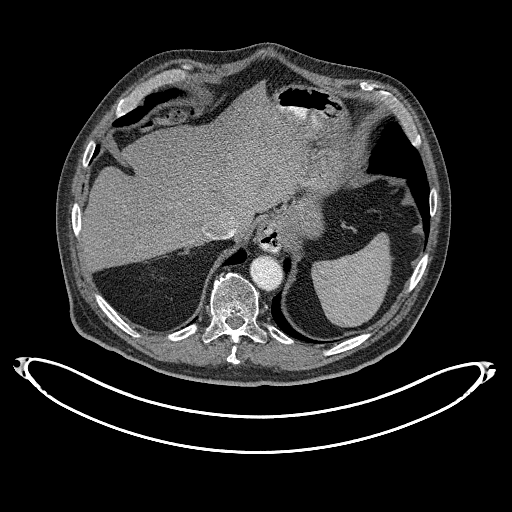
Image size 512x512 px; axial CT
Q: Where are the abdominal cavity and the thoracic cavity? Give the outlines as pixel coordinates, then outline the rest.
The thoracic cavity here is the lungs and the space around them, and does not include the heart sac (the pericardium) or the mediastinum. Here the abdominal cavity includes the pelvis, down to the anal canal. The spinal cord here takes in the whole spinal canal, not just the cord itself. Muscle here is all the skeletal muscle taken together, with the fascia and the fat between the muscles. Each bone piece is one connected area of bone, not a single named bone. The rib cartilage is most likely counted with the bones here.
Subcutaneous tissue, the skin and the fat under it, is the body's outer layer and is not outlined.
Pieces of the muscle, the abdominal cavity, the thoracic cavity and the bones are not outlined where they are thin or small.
A: Outlines (x, y in pixels):
abdominal cavity: (327, 342) (379, 319) (425, 245) (407, 180) (368, 171) (372, 131) (391, 111) (278, 62) (152, 90) (183, 88) (187, 96) (111, 126) (86, 171) (82, 250) (100, 293) (134, 329) (171, 332) (201, 314) (215, 270) (269, 219) (290, 260) (282, 313) (300, 333)
thoracic cavity 1: (425, 244) (428, 236) (429, 220) (430, 219) (428, 214) (429, 186) (426, 179) (425, 171) (419, 152) (410, 144) (398, 122) (397, 121) (390, 121) (380, 134) (377, 145) (372, 150) (369, 171) (399, 175) (405, 177) (408, 180) (408, 183) (422, 215) (423, 227) (425, 234)
thoracic cavity 2: (117, 127) (124, 127) (138, 121) (155, 104) (161, 101) (164, 101) (177, 96) (182, 97) (186, 96) (187, 94) (186, 91) (183, 89) (180, 90) (175, 88) (169, 88) (165, 90) (160, 90) (156, 93) (145, 96) (144, 104) (142, 106) (116, 119) (112, 123) (112, 125)
thoracic cavity 3: (320, 345) (332, 345) (343, 340) (334, 341) (330, 343) (322, 342) (308, 338) (294, 330) (293, 328) (289, 325) (281, 313) (279, 307) (280, 293) (278, 293) (273, 298) (270, 307) (267, 309) (267, 312) (271, 320) (271, 322) (283, 332) (295, 339) (312, 344) (319, 344)
thoracic cavity 4: (223, 265) (227, 265) (228, 264) (232, 264) (233, 263) (238, 263) (239, 262) (241, 262) (242, 261) (243, 261) (243, 260) (245, 258) (245, 257) (246, 256) (246, 255) (245, 254) (245, 252) (243, 250) (239, 250) (237, 252) (234, 253) (227, 259) (226, 259) (223, 262)
thoracic cavity 5: (182, 327) (184, 327) (186, 325) (187, 325) (188, 324) (189, 324) (192, 322) (194, 322) (195, 321) (196, 321) (197, 318) (200, 315) (200, 314) (198, 314) (197, 315) (196, 315) (196, 316) (191, 321) (188, 322) (185, 325) (184, 325)
bones 1: (233, 364) (239, 363) (236, 350) (243, 335) (260, 343) (264, 343) (268, 335) (285, 344) (292, 344) (294, 339) (270, 322) (267, 306) (255, 287) (240, 274) (230, 271) (213, 280) (206, 305) (210, 321) (202, 340) (207, 343) (222, 334) (228, 335) (233, 344) (226, 359); inner edge: (232, 328) (237, 328) (240, 325) (241, 325) (242, 324) (242, 323) (243, 322) (243, 320) (240, 317) (239, 317) (238, 316) (233, 316) (232, 317) (229, 317) (228, 318) (227, 318) (227, 319) (226, 320) (226, 321) (227, 322) (227, 323)
bones 2: (116, 118) (118, 118) (132, 110) (137, 105) (138, 102) (152, 89) (167, 83) (172, 83) (175, 81) (185, 79) (187, 77) (187, 72) (192, 69) (192, 66) (190, 64) (183, 63) (177, 67) (173, 67) (157, 73) (142, 82) (132, 90) (128, 95) (119, 100) (115, 110)
bones 3: (418, 150) (421, 144) (420, 136) (415, 127) (411, 115) (400, 100) (390, 91) (381, 89) (377, 83) (368, 83) (364, 80) (361, 81) (359, 83) (360, 89) (362, 91) (372, 91) (373, 92) (371, 95) (392, 111) (396, 117) (398, 118) (398, 121) (409, 139) (411, 144)
bones 4: (133, 337) (139, 337) (140, 336) (140, 334) (139, 332) (129, 327) (127, 323) (120, 317) (120, 316) (105, 300) (105, 299) (100, 294) (98, 293) (95, 293) (94, 294) (95, 299) (98, 305) (106, 314) (106, 315) (117, 326) (118, 326) (125, 332) (126, 332)
bones 5: (325, 356) (331, 355) (332, 354) (335, 354) (336, 353) (338, 353) (339, 352) (350, 349) (363, 342) (371, 335) (371, 333) (370, 332) (364, 332) (363, 333) (361, 333) (351, 338) (346, 339) (337, 344) (335, 344) (329, 348) (324, 349) (322, 351) (322, 353) (323, 355)
bones 6: (406, 292) (409, 292) (411, 291) (422, 276) (423, 272) (425, 269) (425, 267) (427, 264) (427, 261) (428, 260) (428, 253) (427, 252) (424, 253) (422, 255) (422, 256) (418, 261) (418, 263) (416, 265) (412, 274) (410, 276) (409, 280) (408, 281) (408, 285) (406, 289)
bones 7: (173, 341) (182, 339) (194, 333) (197, 330) (198, 328) (198, 325) (197, 323) (196, 322) (194, 323) (192, 323) (186, 326) (184, 328) (182, 328) (177, 331) (175, 331) (174, 332) (172, 332) (171, 333) (169, 333) (167, 334) (166, 335) (166, 338) (169, 340) (172, 340)
bones 8: (77, 238) (79, 237) (79, 233) (81, 229) (81, 215) (80, 214) (80, 206) (77, 202) (74, 202) (73, 203) (73, 205) (72, 206) (72, 209) (71, 210) (71, 220) (72, 221) (72, 226) (73, 227) (73, 231) (74, 232) (74, 234) (75, 236)
bones 9: (84, 167) (86, 167) (89, 164) (89, 162) (92, 157) (92, 155) (93, 154) (93, 152) (94, 151) (94, 149) (96, 146) (96, 142) (93, 139) (91, 139) (89, 141) (89, 142) (87, 144) (87, 146) (86, 147) (86, 148) (83, 153) (83, 158) (82, 159) (82, 165)
bones 10: (431, 218) (432, 217) (433, 217) (433, 216) (434, 215) (434, 214) (435, 213) (435, 211) (436, 210) (436, 206) (437, 205) (437, 192) (436, 191) (436, 189) (434, 187) (430, 187) (430, 191) (429, 192) (429, 214) (430, 215) (430, 217)
spinal cord: (232, 328) (237, 328) (240, 325) (241, 325) (242, 324) (242, 323) (243, 322) (243, 320) (240, 317) (239, 317) (238, 316) (233, 316) (232, 317) (229, 317) (228, 318) (227, 318) (227, 319) (226, 320) (226, 321) (227, 322) (227, 323)
torso: (236, 386) (297, 385) (355, 372) (399, 347) (428, 303) (447, 254) (451, 191) (432, 125) (418, 99) (397, 78) (372, 69) (318, 59) (276, 42) (258, 42) (230, 50) (165, 50) (126, 72) (100, 100) (71, 144) (57, 186) (55, 227) (69, 315) (77, 332) (158, 372)
muscle: (275, 371) (311, 369) (347, 356) (379, 339) (410, 310) (434, 256) (441, 215) (438, 176) (427, 137) (415, 109) (401, 92) (377, 80) (321, 75) (276, 50) (275, 57) (257, 57) (257, 50) (223, 64) (168, 60) (129, 85) (94, 126) (77, 161) (67, 211) (71, 264) (81, 296) (114, 333) (158, 360) (216, 367) (229, 363) (225, 359) (232, 343) (226, 335) (207, 344) (201, 340) (209, 321) (205, 310) (197, 320) (198, 330) (182, 340) (173, 342) (165, 335) (141, 332) (133, 338) (94, 299) (93, 294) (99, 292) (83, 257) (81, 230) (78, 239) (73, 234) (70, 210) (77, 201) (82, 211) (86, 168) (81, 159) (86, 144) (91, 138) (97, 143) (107, 133) (121, 97) (155, 73) (183, 62) (193, 66) (188, 77) (218, 78) (255, 61) (278, 61) (339, 92) (371, 94) (362, 92) (358, 83) (364, 79) (377, 82) (401, 100) (421, 136) (419, 151) (427, 179) (438, 192) (422, 253) (429, 253) (423, 276) (409, 293) (406, 284) (382, 317) (364, 331) (372, 335) (350, 350) (325, 357) (321, 351) (331, 346) (297, 340) (285, 345) (270, 336) (260, 344) (241, 337) (238, 365)
mediastinum 1: (268, 307) (272, 298) (281, 290) (285, 281) (286, 273) (283, 262) (288, 258) (288, 255) (279, 242) (273, 222) (263, 220) (256, 227) (244, 248) (247, 255) (244, 261) (227, 266) (223, 266) (222, 264) (216, 270) (214, 277) (221, 272) (230, 270) (240, 273) (256, 287)
mediastinum 2: (372, 146) (376, 145) (376, 143) (377, 142) (379, 134) (384, 128) (385, 125) (390, 120) (397, 120) (397, 118) (396, 118) (393, 114) (391, 114) (390, 116) (389, 116) (387, 118) (383, 120) (376, 126) (375, 129) (373, 131) (373, 133) (371, 137) (371, 144)